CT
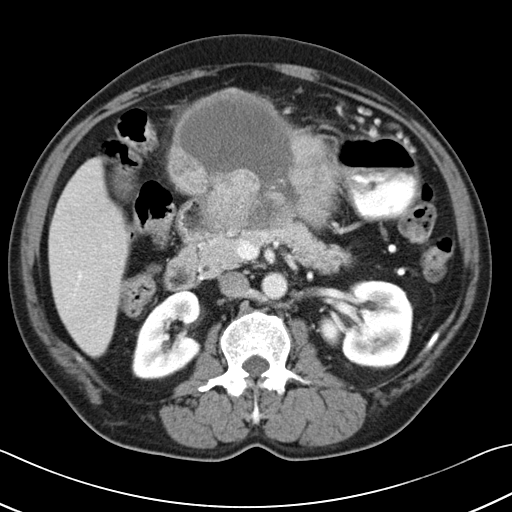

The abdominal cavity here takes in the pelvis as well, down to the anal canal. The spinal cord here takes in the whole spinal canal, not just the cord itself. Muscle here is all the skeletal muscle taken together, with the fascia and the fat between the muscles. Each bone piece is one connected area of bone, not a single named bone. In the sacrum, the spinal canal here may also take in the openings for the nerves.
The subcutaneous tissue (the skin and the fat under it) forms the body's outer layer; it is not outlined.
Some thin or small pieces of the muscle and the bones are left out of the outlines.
{"torso":[[[228,33],[319,44],[376,71],[437,126],[482,204],[492,283],[479,335],[413,420],[373,447],[311,461],[290,461],[252,447],[217,462],[127,449],[98,435],[75,414],[18,333],[8,293],[8,241],[22,189],[46,144],[79,106],[130,66],[172,45]]],"muscle":[{"outer":[[242,61],[277,62],[306,66],[335,75],[344,80],[369,89],[382,96],[403,112],[406,117],[414,119],[423,126],[445,149],[454,162],[465,184],[475,215],[479,245],[479,275],[472,307],[461,327],[447,345],[441,355],[436,359],[432,370],[418,383],[403,392],[394,399],[391,403],[385,407],[383,407],[381,410],[375,411],[370,416],[368,416],[365,419],[365,421],[361,427],[351,436],[341,441],[322,446],[287,448],[272,444],[266,441],[256,433],[252,434],[243,441],[237,442],[225,448],[217,449],[191,448],[181,445],[170,437],[161,423],[152,421],[147,417],[143,417],[139,414],[134,414],[131,412],[126,412],[114,408],[109,408],[100,404],[99,405],[94,404],[90,402],[85,391],[80,387],[79,384],[69,374],[66,373],[62,367],[56,363],[49,354],[46,346],[40,339],[31,324],[26,306],[20,258],[22,228],[30,204],[32,192],[41,173],[41,170],[49,155],[63,137],[78,123],[117,95],[149,80],[183,70],[189,70],[193,68],[203,68],[209,65],[214,66],[217,64]],"hole":[[246,65],[346,94],[405,125],[445,181],[463,263],[460,294],[437,329],[435,343],[402,371],[373,385],[358,387],[327,371],[306,321],[290,318],[286,367],[311,382],[290,379],[282,394],[259,388],[257,424],[251,416],[252,388],[238,396],[220,385],[197,389],[227,369],[219,323],[207,330],[191,374],[169,395],[126,397],[91,365],[79,362],[76,351],[53,331],[41,296],[39,263],[60,171],[96,123],[167,88]]}],"bones":[{"outer":[[255,309],[282,318],[290,336],[286,367],[311,381],[304,384],[290,379],[282,394],[259,388],[256,397],[261,417],[257,424],[251,416],[252,388],[246,388],[238,396],[229,395],[220,385],[206,391],[197,389],[227,369],[219,345],[223,330],[232,320]],"hole":[[254,355],[257,355],[258,356],[259,356],[260,357],[263,358],[265,360],[266,360],[268,363],[268,368],[266,370],[263,371],[257,377],[251,377],[250,376],[250,374],[246,370],[245,370],[243,368],[243,363],[247,359],[248,359],[251,356],[253,356]]},[[436,331],[438,331],[438,332],[439,333],[439,336],[438,337],[437,340],[432,346],[432,347],[429,350],[428,350],[425,352],[423,352],[422,351],[422,350],[426,345],[427,342],[429,340],[429,339],[431,337],[431,336],[434,333],[434,332],[435,332]]],"abdominal_cavity":[[[246,65],[351,96],[423,143],[453,209],[460,294],[416,357],[373,385],[327,371],[302,318],[290,318],[287,328],[282,317],[255,308],[220,335],[219,323],[207,330],[191,374],[169,395],[126,397],[46,317],[40,244],[58,176],[102,119],[180,83]]],"spinal_cord":[[[254,355],[257,355],[258,356],[259,356],[260,357],[263,358],[265,360],[266,360],[268,363],[268,368],[266,370],[263,371],[257,377],[251,377],[250,376],[250,374],[246,370],[245,370],[243,368],[243,363],[247,359],[248,359],[251,356],[253,356]]]}